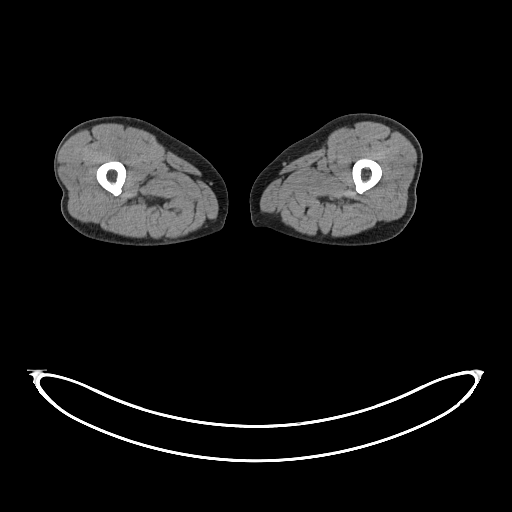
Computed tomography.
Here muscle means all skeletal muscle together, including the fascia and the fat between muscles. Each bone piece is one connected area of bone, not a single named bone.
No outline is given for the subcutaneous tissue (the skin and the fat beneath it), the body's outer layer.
right leg: [[111,115],[131,116],[150,122],[195,149],[215,167],[222,176],[228,192],[228,212],[221,230],[201,238],[176,244],[160,246],[131,246],[107,243],[88,238],[67,223],[60,210],[62,192],[55,179],[53,170],[55,150],[62,137],[75,125],[92,118]]
bones 1: [[360,158],[370,158],[376,161],[380,165],[381,167],[381,169],[382,170],[382,174],[378,182],[374,186],[371,187],[369,189],[366,190],[362,193],[358,193],[355,190],[355,184],[352,178],[352,166],[353,164],[358,159]]
bones 2: [[111,160],[117,160],[118,161],[120,161],[124,165],[126,169],[126,176],[125,177],[125,181],[122,186],[121,193],[119,195],[117,195],[116,196],[102,187],[100,185],[96,178],[96,171],[97,170],[97,168],[101,164],[107,161],[110,161]]
muscle 1: [[104,122],[119,123],[148,131],[164,140],[172,148],[186,158],[202,167],[218,199],[218,213],[216,219],[210,225],[178,238],[135,238],[102,232],[87,227],[82,222],[72,217],[67,209],[68,191],[58,173],[59,151],[63,144],[82,128],[88,125]], around a hole outlined by [[111,160],[117,160],[118,161],[120,161],[124,165],[126,169],[126,176],[125,177],[125,181],[122,186],[121,193],[119,195],[117,195],[116,196],[102,187],[100,185],[96,178],[96,171],[97,170],[97,168],[101,164],[107,161],[110,161]]
muscle 2: [[357,121],[379,122],[395,129],[410,141],[416,151],[417,164],[408,188],[406,209],[400,218],[388,225],[348,237],[340,239],[323,239],[309,237],[288,229],[259,211],[259,202],[264,189],[273,180],[277,171],[284,163],[313,150],[328,132],[338,126]] with a hole at [[360,158],[370,158],[376,161],[380,165],[381,167],[381,169],[382,170],[382,174],[378,182],[374,186],[371,187],[369,189],[366,190],[362,193],[358,193],[355,190],[355,184],[352,178],[352,166],[353,164],[358,159]]
left leg: [[357,112],[376,113],[393,118],[406,126],[420,143],[423,153],[423,161],[416,188],[416,208],[405,228],[395,237],[381,243],[361,246],[338,246],[301,240],[266,227],[254,227],[250,218],[249,193],[258,174],[281,151],[292,143],[307,136],[333,118]]